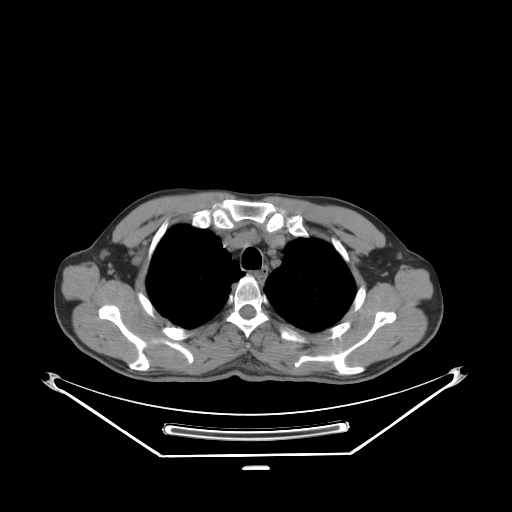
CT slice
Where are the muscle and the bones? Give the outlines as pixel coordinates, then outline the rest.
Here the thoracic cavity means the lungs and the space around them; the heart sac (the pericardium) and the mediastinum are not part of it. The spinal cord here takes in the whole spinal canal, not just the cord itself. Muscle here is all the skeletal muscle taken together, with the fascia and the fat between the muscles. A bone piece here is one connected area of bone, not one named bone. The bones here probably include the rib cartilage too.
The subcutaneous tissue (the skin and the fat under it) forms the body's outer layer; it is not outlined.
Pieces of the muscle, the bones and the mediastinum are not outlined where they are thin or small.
The muscle is outlined by 205,191 243,198 225,198 197,210 189,223 170,227 165,218 147,250 147,295 136,293 149,316 158,313 172,324 160,329 163,343 189,364 194,355 180,341 224,309 222,319 246,339 271,319 272,310 300,330 323,332 327,340 334,340 352,324 340,320 364,303 366,285 357,288 342,242 334,235 329,242 311,236 300,214 288,215 283,208 258,200 266,196 343,206 368,219 386,239 384,247 361,258 370,287 377,281 391,281 402,264 427,270 433,294 424,336 407,350 367,368 350,363 347,357 354,350 396,320 394,310 381,309 365,335 347,348 302,354 293,363 295,368 305,362 331,363 337,376 279,373 247,355 198,375 143,372 151,366 144,352 149,343 127,327 117,305 105,303 97,309 98,317 118,328 134,345 136,356 124,364 93,350 77,336 62,304 64,268 99,262 130,283 136,268 127,248 111,241 116,225 148,200; inner edge: 280,326 283,326 284,327 287,327 288,328 293,329 296,332 297,332 299,334 302,335 304,337 308,339 309,342 308,343 299,343 295,341 292,341 291,340 286,340 285,339 281,338 280,334 279,333 279,327. The bones appear in 11 outlined pieces: piece 1: 225,199 269,202 279,209 283,209 288,216 300,215 310,236 296,237 284,227 275,231 267,231 264,224 249,219 236,222 235,227 231,229 217,228 213,225 207,228 194,227 190,223 195,212 210,209 213,204; piece 2: 246,274 252,276 256,280 258,285 266,295 267,299 271,306 270,319 259,324 250,333 248,338 245,337 244,333 235,324 231,322 227,322 223,319 225,313 224,307 228,299 229,294 232,290 232,288 239,279 with a hole at 245,305 250,305 253,307 253,308 255,311 255,313 253,316 252,316 249,318 245,318 244,317 243,317 240,314 240,313 239,312 239,311 240,310 240,309 243,306 244,306; piece 3: 381,310 394,311 396,314 395,320 380,326 366,342 354,349 346,357 350,364 365,367 363,371 340,375 331,362 322,361 305,361 298,367 294,366 294,363 302,355 314,356 347,349 366,335 373,324 376,312; piece 4: 105,304 113,304 117,306 120,312 121,319 126,327 148,343 148,345 143,350 150,364 147,370 135,370 128,366 127,362 132,361 137,356 136,347 132,342 126,338 113,322 107,319 101,319 99,317 98,309; piece 5: 167,325 174,325 185,329 188,329 189,330 192,329 193,330 193,333 190,336 179,341 193,355 193,361 191,363 188,362 187,359 180,351 172,348 167,344 164,343 163,338 165,336 161,332 161,329; piece 6: 165,219 168,219 169,220 169,223 170,224 169,225 169,227 158,242 152,254 152,256 149,262 148,267 147,265 147,256 148,255 148,250 149,249 149,247 150,246 152,238 154,234 158,229 158,228 165,220; piece 7: 280,326 283,326 284,327 287,327 288,328 293,329 296,332 297,332 299,334 302,335 304,337 308,339 309,342 308,343 299,343 295,341 292,341 291,340 286,340 285,339 281,338 280,334 279,333 279,327; piece 8: 348,320 349,320 351,322 350,327 344,333 343,333 340,337 337,337 334,339 327,339 326,338 328,334 326,332 324,332 323,331 324,330 338,323 340,323 344,321 347,321; piece 9: 362,285 365,285 365,287 366,288 366,292 365,293 365,298 363,301 363,303 361,305 359,309 358,309 356,311 352,311 351,312 349,312 347,313 355,297 355,295 356,294 357,289 360,286; piece 10: 139,291 140,292 141,292 143,294 144,294 146,296 147,296 147,297 151,302 152,305 157,311 157,312 155,314 155,316 154,317 152,317 150,315 149,315 142,307 142,306 138,299 138,297 137,296 137,293; piece 11: 331,236 334,236 337,239 338,239 341,242 341,243 346,249 347,251 347,254 349,257 349,262 348,263 347,263 343,259 343,258 340,255 340,254 335,249 333,245 330,242 329,240. The left arm is outlined by 424,258 427,259 432,264 433,267 436,271 436,273 439,279 439,282 441,286 442,294 443,295 444,311 432,301 432,300 428,296 427,292 425,289 424,283 423,282 423,279 422,278 422,267 423,266 423,260. The mediastinum is outlined by 248,221 253,221 262,225 267,232 282,230 295,237 293,240 285,244 280,266 269,274 262,288 252,275 248,273 245,274 240,269 238,263 231,258 231,254 223,246 221,240 208,228 213,226 217,229 231,230. The torso is outlined by 170,187 326,195 366,209 410,250 423,257 424,289 444,312 437,333 423,348 386,372 351,384 245,381 237,376 208,382 152,382 110,369 79,350 63,333 56,319 69,313 83,295 90,270 88,246 131,202. The spinal cord is outlined by 245,305 250,305 253,307 253,308 255,311 255,313 253,316 252,316 249,318 245,318 244,317 243,317 240,314 240,313 239,312 239,311 240,310 240,309 243,306 244,306. The right arm is outlined by 87,247 88,258 89,259 89,270 88,271 88,277 86,280 85,287 83,290 82,295 80,297 76,305 69,312 60,317 56,318 54,314 54,309 53,308 53,285 54,284 54,278 58,265 61,260 70,253. The thoracic cavity appears in 2 outlined pieces: piece 1: 179,224 189,224 194,228 208,229 212,232 220,240 222,246 230,254 230,258 237,263 239,269 244,274 233,284 223,309 208,321 189,329 175,325 161,315 148,297 146,289 146,275 153,254 159,242 169,228; piece 2: 310,237 320,239 332,245 347,264 353,276 356,287 356,291 349,308 339,321 322,331 317,332 305,331 285,321 272,309 272,306 268,297 262,289 270,274 281,266 284,256 284,248 286,244 293,241 296,238.